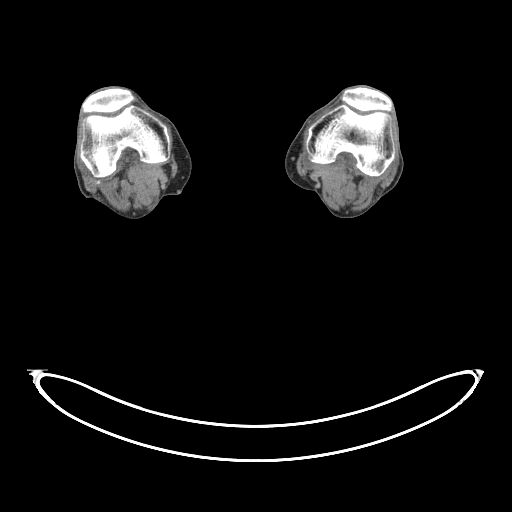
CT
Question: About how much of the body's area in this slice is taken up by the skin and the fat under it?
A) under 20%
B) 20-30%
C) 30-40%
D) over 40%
Answer: A) under 20%
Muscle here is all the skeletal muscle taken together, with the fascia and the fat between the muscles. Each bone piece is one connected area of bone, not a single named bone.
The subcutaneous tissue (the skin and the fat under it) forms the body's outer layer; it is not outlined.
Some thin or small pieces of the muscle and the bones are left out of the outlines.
The bones appear in 2 outlined pieces: piece 1: 113,86 129,89 134,97 132,101 134,105 165,124 171,148 169,158 165,162 147,163 140,160 136,150 128,147 116,162 115,170 109,175 97,178 92,175 79,156 82,119 88,114 81,110 81,105 90,93; piece 2: 357,86 381,90 393,102 393,110 389,113 392,117 392,131 395,137 395,155 385,171 378,176 363,173 356,167 356,159 349,152 340,152 333,162 321,164 310,161 305,147 309,127 343,102 341,97 346,88. The left leg is outlined by 354,84 367,84 381,90 391,98 395,108 399,126 399,141 404,165 399,181 393,189 384,195 365,213 357,217 340,218 330,213 315,192 303,189 290,181 285,172 284,158 291,141 308,115 329,101 340,90. The muscle appears in 3 outlined pieces: piece 1: 341,95 342,102 307,129 304,147 309,161 326,165 333,163 340,153 349,153 363,174 381,176 396,155 393,117 399,156 389,188 363,209 351,213 331,208 319,191 297,174 292,162 301,150 306,127; piece 2: 166,124 172,132 173,152 178,172 174,181 149,208 124,212 112,206 101,195 86,190 77,163 78,147 79,158 97,179 111,175 116,170 117,162 123,152 128,148 137,152 141,162 165,163 170,158 172,148; piece 3: 134,95 137,98 137,99 141,103 141,104 142,105 143,105 143,106 144,107 145,107 149,111 148,111 147,110 146,110 145,109 144,109 143,108 142,108 141,107 140,107 133,103 133,101 135,98. The right leg is outlined by 110,85 120,85 135,90 150,107 169,118 176,126 192,161 190,177 181,193 177,195 164,196 150,213 138,219 128,219 122,217 96,200 84,197 78,188 73,169 73,154 76,143 76,126 82,102 94,90.